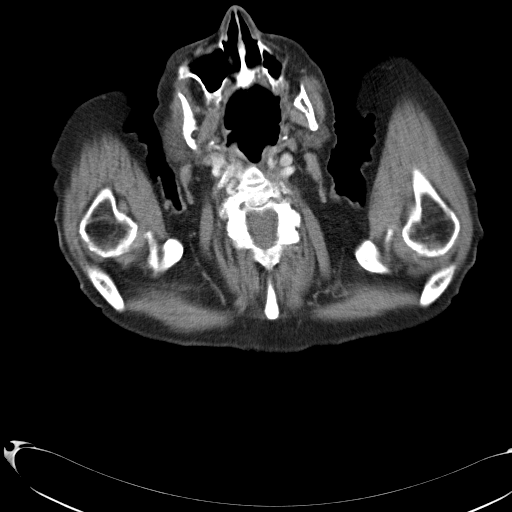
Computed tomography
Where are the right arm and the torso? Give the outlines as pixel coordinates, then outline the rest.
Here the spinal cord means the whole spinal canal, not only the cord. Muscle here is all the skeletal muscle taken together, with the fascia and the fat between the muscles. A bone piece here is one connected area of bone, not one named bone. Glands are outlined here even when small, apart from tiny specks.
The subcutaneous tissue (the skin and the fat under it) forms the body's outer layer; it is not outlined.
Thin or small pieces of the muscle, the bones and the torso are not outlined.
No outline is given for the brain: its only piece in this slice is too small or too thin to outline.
The right arm is outlined by [[115,89],[131,94],[133,111],[125,129],[136,132],[147,144],[147,164],[151,176],[161,177],[165,194],[125,278],[119,317],[111,322],[82,293],[76,277],[60,253],[53,221],[56,199],[52,187],[55,174],[50,167],[50,157],[70,113],[87,99]]. The torso appears in 2 outlined pieces: piece 1: [[165,195],[168,198],[170,198],[175,205],[179,208],[180,212],[198,249],[200,251],[212,275],[217,282],[220,297],[224,308],[224,317],[223,318],[219,347],[180,346],[175,344],[150,340],[122,329],[113,323],[120,317],[126,278],[165,197]]; piece 2: [[336,192],[339,194],[343,194],[360,203],[362,203],[364,199],[377,232],[404,283],[436,316],[443,311],[441,314],[434,319],[409,330],[358,339],[333,346],[331,345],[323,322],[321,311],[321,297],[325,289],[327,274],[329,271],[330,212]]. The spinal cord is outlined by [[267,211],[271,211],[273,212],[276,217],[276,227],[275,228],[276,230],[276,239],[274,241],[273,245],[270,246],[268,248],[263,249],[257,246],[254,243],[254,241],[249,231],[249,227],[247,224],[247,216],[248,214],[250,213],[261,213],[263,214]]. The muscle is outlined by [[262,40],[321,85],[325,123],[319,127],[302,82],[292,105],[311,131],[301,131],[300,141],[310,153],[321,149],[323,223],[330,231],[363,232],[397,97],[406,92],[426,111],[463,180],[474,227],[453,280],[451,263],[423,284],[418,304],[435,302],[429,309],[336,325],[182,334],[151,319],[120,317],[114,310],[123,312],[125,300],[112,277],[89,266],[92,285],[74,261],[62,233],[64,185],[84,139],[104,129],[138,161],[169,229],[179,236],[194,231],[196,215],[178,175],[187,148],[175,127],[164,128],[180,55],[217,44],[189,66],[181,63],[177,79],[194,79],[205,102],[218,108],[233,73],[224,98],[228,143],[251,162],[276,143],[276,96],[284,76]] with holes at [[251,163],[271,181],[283,182],[288,191],[282,196],[289,198],[291,206],[301,216],[297,228],[300,239],[283,256],[274,279],[279,315],[273,320],[264,313],[266,274],[247,250],[232,245],[226,231],[227,219],[219,215],[223,200],[234,193],[246,166]] and at [[413,166],[418,167],[424,173],[440,197],[454,212],[459,220],[460,225],[459,232],[454,244],[446,253],[440,256],[426,257],[419,255],[405,243],[402,237],[401,233],[402,228],[407,220],[410,209],[414,203],[412,181],[411,180],[412,176],[411,170]] and at [[107,185],[112,189],[113,193],[116,198],[116,202],[118,207],[127,214],[137,224],[137,235],[131,245],[130,249],[127,252],[121,255],[110,258],[101,257],[90,251],[88,249],[86,243],[82,239],[79,233],[79,224],[82,217],[97,192],[102,187]] and at [[147,230],[151,230],[153,232],[154,237],[158,244],[160,255],[162,244],[167,239],[171,237],[177,238],[183,244],[183,253],[180,259],[167,269],[155,273],[148,266],[146,261],[147,256],[149,253],[149,245],[147,239],[144,236],[144,233]] and at [[365,239],[367,239],[371,241],[377,247],[379,251],[379,253],[380,254],[379,255],[379,259],[388,267],[388,271],[387,272],[385,273],[376,273],[375,272],[371,272],[363,268],[358,263],[354,255],[354,249],[356,247],[356,246],[360,243],[360,242]] and at [[178,91],[180,91],[185,96],[194,114],[194,116],[196,119],[197,129],[192,133],[192,135],[196,140],[196,143],[198,147],[196,150],[193,150],[188,146],[182,134],[183,112],[182,111],[182,106],[181,105],[180,99],[177,96],[177,92]] and at [[389,227],[390,228],[391,228],[393,230],[393,234],[392,235],[392,237],[391,238],[391,240],[387,244],[387,245],[386,246],[385,245],[385,243],[384,242],[384,237],[385,236],[385,234],[386,233],[386,230],[387,229],[387,228],[388,228]]. The left arm is outlined by [[384,41],[402,43],[445,101],[468,148],[468,166],[476,188],[484,238],[458,294],[447,309],[436,315],[405,283],[364,198],[360,164],[370,157],[369,148],[374,142],[374,116],[369,113],[361,117],[355,110],[354,98],[362,73],[380,53],[376,45]]. The bones appear in 12 outlined pieces: piece 1: [[251,163],[271,181],[283,182],[288,191],[282,196],[289,198],[291,206],[301,216],[297,228],[300,239],[283,256],[274,279],[279,315],[273,320],[264,313],[266,274],[247,250],[232,245],[226,231],[227,219],[219,215],[223,200],[234,193],[246,166]]; inner edge: [[267,211],[271,211],[273,212],[276,217],[276,227],[275,228],[276,230],[276,239],[274,241],[273,245],[270,246],[268,248],[263,249],[257,246],[254,243],[254,241],[249,231],[249,227],[247,224],[247,216],[248,214],[250,213],[261,213],[263,214]]; piece 2: [[413,166],[418,167],[424,173],[440,197],[454,212],[459,220],[460,225],[459,232],[454,244],[446,253],[440,256],[426,257],[419,255],[405,243],[402,237],[401,233],[402,228],[407,220],[410,209],[414,203],[412,181],[411,180],[412,176],[411,170]]; piece 3: [[107,185],[112,189],[113,193],[116,198],[116,202],[118,207],[127,214],[137,224],[137,235],[131,245],[130,249],[127,252],[121,255],[110,258],[101,257],[90,251],[88,249],[86,243],[82,239],[79,233],[79,224],[82,217],[97,192],[102,187]]; piece 4: [[240,33],[240,38],[245,48],[244,61],[248,67],[252,68],[261,64],[274,78],[282,74],[282,85],[277,88],[276,95],[269,89],[254,84],[247,89],[237,89],[228,97],[225,103],[225,98],[231,92],[235,82],[234,73],[241,65],[237,46]]; piece 5: [[147,230],[151,230],[153,232],[154,237],[158,244],[160,255],[162,244],[167,239],[171,237],[177,238],[183,244],[183,253],[180,259],[167,269],[155,273],[148,266],[146,261],[147,256],[149,253],[149,245],[147,239],[144,236],[144,233]]; piece 6: [[89,267],[98,267],[105,272],[106,272],[111,277],[111,278],[115,283],[118,290],[120,292],[124,300],[124,309],[123,311],[117,311],[115,309],[114,309],[104,299],[104,298],[94,287],[93,284],[91,282],[90,279],[87,275],[87,269]]; piece 7: [[451,264],[455,266],[455,269],[454,270],[451,281],[445,290],[439,296],[439,297],[438,297],[437,299],[436,299],[435,301],[431,304],[428,306],[421,306],[419,304],[419,298],[420,297],[423,286],[428,278],[434,272],[439,270],[443,267],[448,266]]; piece 8: [[365,239],[367,239],[371,241],[377,247],[379,251],[379,253],[380,254],[379,255],[379,259],[388,267],[388,271],[387,272],[385,273],[376,273],[375,272],[371,272],[363,268],[358,263],[354,255],[354,249],[356,247],[356,246],[360,243],[360,242]]; piece 9: [[178,91],[180,91],[185,96],[194,114],[194,116],[196,119],[197,129],[192,133],[192,135],[196,140],[196,143],[198,147],[196,150],[193,150],[188,146],[182,134],[183,112],[182,111],[182,106],[181,105],[180,99],[177,96],[177,92]]; piece 10: [[181,64],[188,65],[190,70],[200,78],[209,92],[217,90],[220,87],[224,78],[228,76],[229,80],[225,84],[222,90],[223,99],[218,107],[212,100],[208,103],[206,102],[206,97],[202,87],[194,78],[187,77],[183,79],[178,79],[177,70]]; piece 11: [[301,83],[303,84],[304,89],[307,94],[307,96],[309,99],[309,101],[311,103],[311,105],[313,108],[313,111],[314,112],[315,118],[318,123],[318,128],[316,130],[311,130],[308,127],[307,119],[304,113],[293,105],[293,100],[300,91],[300,84]]; piece 12: [[257,38],[259,38],[261,40],[261,41],[265,45],[266,45],[270,49],[270,53],[269,52],[268,52],[267,51],[264,51],[263,52],[263,59],[262,60],[261,60],[261,56],[260,55],[260,54],[259,53],[259,50],[258,49],[258,46],[257,45]]. The head is outlined by [[232,5],[242,7],[260,30],[301,44],[320,67],[332,99],[337,139],[327,169],[336,191],[329,212],[328,271],[320,297],[322,322],[331,346],[288,354],[220,347],[225,308],[218,282],[181,212],[174,175],[153,120],[156,88],[168,57],[213,33]] with holes at [[254,85],[263,87],[277,97],[280,112],[280,120],[278,124],[279,132],[277,140],[273,145],[269,144],[262,148],[261,157],[257,161],[251,161],[248,159],[235,141],[229,143],[228,141],[229,132],[224,126],[226,104],[230,96],[237,90],[247,90]] and at [[234,13],[239,14],[251,37],[256,40],[260,60],[267,52],[279,62],[281,70],[274,77],[261,63],[248,66],[240,32],[236,44],[239,68],[225,76],[217,89],[209,91],[191,70],[190,64],[217,48],[224,48],[223,41],[227,39],[230,18]]. The parotid glands appear in 2 outlined pieces: piece 1: [[168,124],[171,125],[174,128],[175,128],[175,129],[178,132],[181,138],[181,140],[183,142],[186,148],[186,151],[185,153],[180,158],[178,162],[176,163],[173,162],[170,155],[167,151],[167,148],[165,144],[165,137],[164,136],[163,131],[166,125]]; piece 2: [[324,124],[327,125],[330,130],[330,135],[328,139],[322,144],[322,146],[320,149],[318,150],[315,150],[312,152],[308,151],[307,147],[304,145],[300,139],[300,134],[301,132],[303,131],[309,131],[310,132],[312,131],[316,131],[318,130],[319,128]].